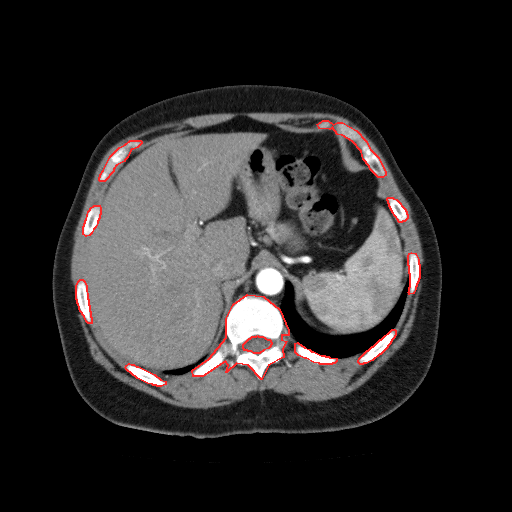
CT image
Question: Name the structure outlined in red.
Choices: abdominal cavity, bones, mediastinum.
Answer: red: bones.
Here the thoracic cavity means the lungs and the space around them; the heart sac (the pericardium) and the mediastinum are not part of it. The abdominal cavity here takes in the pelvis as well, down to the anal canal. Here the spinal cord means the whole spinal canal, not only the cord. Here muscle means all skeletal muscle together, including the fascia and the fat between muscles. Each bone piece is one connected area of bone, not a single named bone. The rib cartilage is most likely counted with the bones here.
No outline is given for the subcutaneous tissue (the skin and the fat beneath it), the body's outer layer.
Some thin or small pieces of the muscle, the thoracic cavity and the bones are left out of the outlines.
Outlines (x, y in pixels):
bones 1: 247 294; 263 296; 279 309; 288 330; 288 335; 281 335; 281 339; 286 341; 282 348; 283 357; 268 365; 261 379; 248 365; 236 363; 226 372; 228 365; 225 361; 202 376; 193 376; 192 370; 209 358; 226 337; 226 318; 233 304, around a hole outlined by 257 335; 258 336; 262 336; 267 339; 269 339; 271 342; 271 344; 270 345; 270 346; 268 348; 263 350; 259 353; 254 353; 251 351; 248 351; 247 350; 244 350; 244 349; 243 348; 243 344; 249 338; 250 338; 252 336; 256 336
bones 2: 323 120; 327 120; 333 124; 337 122; 342 122; 356 130; 365 140; 370 149; 377 156; 385 171; 385 175; 382 177; 378 177; 370 169; 369 166; 363 159; 361 151; 352 141; 342 135; 337 134; 332 127; 329 129; 319 128; 317 124
bones 3: 130 140; 140 140; 141 141; 141 143; 137 147; 133 149; 131 149; 130 150; 127 157; 124 160; 124 161; 116 165; 113 169; 113 171; 104 181; 100 181; 99 180; 99 177; 100 176; 100 174; 103 170; 110 156; 119 147; 125 144
bones 4: 392 329; 394 329; 395 330; 395 335; 390 342; 390 343; 387 346; 387 347; 380 354; 379 354; 372 360; 366 363; 363 363; 362 364; 360 364; 358 362; 358 360; 359 358; 367 350; 368 350; 372 346; 373 346; 380 339; 381 339
bones 5: 80 279; 82 279; 84 281; 86 286; 87 298; 88 299; 88 304; 89 305; 89 310; 90 311; 90 316; 91 317; 91 323; 88 323; 86 321; 84 316; 80 311; 78 304; 77 303; 77 300; 76 299; 76 286; 78 281
bones 6: 297 342; 304 347; 309 349; 311 351; 313 351; 321 355; 324 355; 325 356; 328 356; 329 357; 336 358; 336 361; 334 363; 332 363; 331 364; 320 364; 319 363; 313 362; 306 358; 304 358; 298 355; 295 352; 295 343
bones 7: 129 363; 131 364; 133 364; 136 366; 138 366; 154 374; 160 379; 165 381; 165 384; 161 386; 157 386; 156 385; 153 385; 152 384; 147 383; 137 378; 126 369; 125 367; 126 365
bones 8: 411 252; 415 253; 418 259; 418 263; 419 264; 419 278; 418 279; 418 281; 416 284; 416 286; 415 287; 415 289; 413 293; 409 294; 408 292; 409 291; 409 287; 410 286; 410 274; 409 273; 409 266; 408 265; 408 255; 409 253
bones 9: 94 205; 99 205; 100 207; 100 214; 99 215; 99 218; 97 221; 97 223; 95 227; 93 229; 91 233; 89 235; 86 236; 83 234; 83 226; 84 225; 84 223; 85 222; 85 220; 86 219; 88 211; 90 209; 90 208
bones 10: 388 197; 392 197; 393 198; 396 199; 405 209; 405 210; 406 211; 406 213; 407 214; 407 218; 404 221; 402 221; 401 222; 399 222; 398 221; 398 220; 392 212; 392 211; 389 206; 389 204; 388 203; 388 201; 387 200; 387 198
abdominal cavity: 238 116; 342 136; 353 160; 377 177; 399 223; 409 279; 380 323; 334 336; 308 326; 294 307; 292 284; 277 267; 262 265; 237 288; 224 334; 209 357; 153 373; 116 353; 100 335; 84 280; 84 248; 114 171; 134 149; 160 132
spinal cord: 257 335; 258 336; 262 336; 267 339; 269 339; 271 342; 271 344; 270 345; 270 346; 268 348; 263 350; 259 353; 254 353; 251 351; 248 351; 247 350; 244 350; 244 349; 243 348; 243 344; 249 338; 250 338; 252 336; 256 336
muscle: 236 112; 321 112; 348 119; 377 147; 411 208; 424 259; 413 324; 404 343; 363 384; 344 395; 310 401; 267 389; 227 405; 183 407; 120 381; 90 353; 77 316; 76 300; 85 321; 88 324; 93 321; 103 341; 129 362; 125 369; 157 387; 164 386; 166 381; 155 374; 181 375; 191 371; 198 378; 224 362; 226 373; 236 364; 248 366; 261 380; 267 367; 284 357; 287 341; 282 335; 288 336; 289 332; 296 341; 294 352; 320 365; 331 365; 337 358; 360 353; 357 362; 366 364; 380 355; 395 337; 394 327; 407 296; 414 293; 420 278; 418 256; 408 252; 400 225; 408 214; 396 198; 386 197; 380 189; 378 178; 384 177; 386 171; 362 135; 342 121; 333 123; 327 119; 313 127; 238 115; 203 127; 160 131; 142 142; 130 139; 119 146; 99 174; 98 180; 104 182; 113 173; 99 203; 87 211; 82 226; 87 241; 83 248; 83 279; 77 281; 75 295; 70 270; 74 232; 94 172; 108 149; 121 139; 156 125; 203 114
thoracic cavity: 408 280; 409 286; 404 305; 393 328; 365 351; 345 357; 333 357; 321 354; 298 342; 286 326; 280 310; 285 295; 285 284; 288 281; 293 290; 293 307; 299 317; 312 330; 323 335; 334 337; 360 334; 373 329; 388 316; 396 305
torso: 234 84; 304 88; 355 106; 379 130; 429 214; 442 265; 435 353; 426 376; 413 394; 376 421; 316 433; 254 432; 215 438; 168 435; 108 421; 84 401; 69 375; 53 307; 52 268; 62 226; 92 151; 116 123; 145 106; 190 91
mediastinum 1: 262 266; 273 266; 275 268; 277 268; 283 274; 283 276; 285 278; 284 295; 282 298; 279 308; 270 299; 265 297; 263 295; 260 295; 256 293; 247 293; 239 297; 236 297; 236 292; 238 288; 244 282; 249 280; 252 274; 258 268
mediastinum 2: 344 138; 345 138; 349 141; 352 142; 358 148; 358 149; 361 153; 361 156; 362 157; 362 159; 368 166; 367 166; 364 164; 362 164; 361 163; 358 163; 354 160; 353 157; 350 153; 350 151; 345 142; 345 140; 344 139